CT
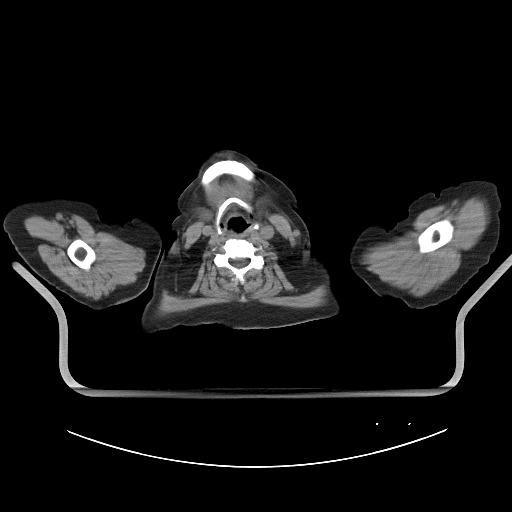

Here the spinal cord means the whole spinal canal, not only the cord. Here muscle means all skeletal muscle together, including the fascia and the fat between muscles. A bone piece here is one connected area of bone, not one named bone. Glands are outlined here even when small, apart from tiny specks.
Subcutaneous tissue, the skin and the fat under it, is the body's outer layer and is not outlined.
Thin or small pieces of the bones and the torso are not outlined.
{"left_arm":[[[473,179],[491,180],[499,187],[503,204],[500,214],[500,236],[488,263],[455,295],[436,305],[413,309],[398,298],[379,296],[350,270],[347,253],[364,227],[372,223],[381,223],[390,228],[408,214],[411,202],[421,195],[431,191],[437,197],[443,188]]],"submandibular_glands":[[[261,197],[268,197],[269,198],[270,198],[271,199],[272,199],[273,200],[273,203],[269,207],[268,207],[264,211],[264,212],[263,213],[263,214],[258,214],[257,213],[256,213],[256,210],[255,209],[255,205],[256,204],[256,201],[258,199],[259,199]],[[197,207],[204,207],[205,208],[206,208],[208,210],[209,210],[209,211],[211,213],[211,216],[209,218],[209,219],[200,219],[199,218],[198,218],[197,217],[194,217],[192,215],[192,210],[193,210],[195,208],[196,208]]],"spinal_cord":[[[238,258],[247,258],[248,259],[249,259],[249,261],[248,262],[248,263],[245,266],[244,266],[243,267],[240,267],[239,268],[238,268],[237,267],[235,267],[234,266],[233,266],[230,263],[230,262],[229,261],[229,259],[237,259]]],"right_arm":[[[52,198],[67,198],[90,203],[97,209],[99,218],[107,223],[122,223],[135,216],[141,216],[153,221],[160,230],[162,248],[150,277],[148,287],[137,297],[127,302],[95,310],[72,299],[34,273],[17,253],[4,231],[3,219],[12,207],[20,203]]],"muscle":[{"outer":[[226,154],[232,155],[253,167],[258,175],[275,193],[275,195],[287,211],[300,233],[301,246],[306,261],[312,273],[322,280],[328,287],[329,298],[326,304],[310,308],[294,308],[264,304],[256,301],[230,302],[202,306],[189,311],[172,313],[161,317],[155,315],[155,310],[160,298],[161,289],[163,287],[170,288],[173,283],[174,265],[180,241],[182,227],[186,217],[193,190],[196,187],[200,175],[206,166],[214,158]],"holes":[[[229,238],[245,239],[251,242],[256,247],[260,245],[262,247],[261,253],[263,255],[264,260],[264,264],[262,268],[249,269],[243,275],[244,278],[243,283],[232,280],[234,277],[233,273],[226,267],[218,267],[213,261],[215,252],[212,249],[222,245]],[[225,159],[236,160],[246,165],[254,173],[255,175],[254,179],[250,181],[241,177],[239,175],[224,173],[215,177],[208,184],[206,188],[204,187],[204,186],[201,183],[201,178],[204,171],[211,164],[219,160],[224,160]],[[230,197],[235,197],[245,202],[250,207],[251,212],[250,213],[247,212],[241,206],[236,203],[233,202],[230,203],[223,212],[223,214],[221,217],[220,220],[221,233],[219,234],[217,231],[215,223],[216,222],[216,214],[218,211],[219,206],[226,199]],[[261,197],[268,197],[269,198],[270,198],[271,199],[272,199],[273,200],[273,203],[269,207],[268,207],[264,211],[264,212],[263,213],[263,214],[258,214],[257,213],[256,213],[256,210],[255,209],[255,205],[256,204],[256,201],[258,199],[259,199]],[[197,207],[204,207],[205,208],[206,208],[208,210],[209,210],[209,211],[211,213],[211,216],[209,218],[209,219],[200,219],[199,218],[198,218],[197,217],[194,217],[192,215],[192,210],[193,210],[195,208],[196,208]],[[233,218],[241,218],[247,224],[247,225],[245,227],[244,227],[242,229],[241,229],[240,230],[237,230],[236,229],[235,229],[233,227],[230,227],[230,225],[229,224],[229,223],[230,222],[230,220],[231,219],[232,219]]]},{"outer":[[475,195],[487,199],[490,207],[490,222],[479,242],[460,265],[457,271],[436,289],[419,297],[414,296],[404,290],[389,285],[367,270],[360,263],[359,257],[367,247],[379,242],[389,240],[403,233],[412,226],[412,223],[417,215],[423,210],[453,198]],"hole":[[446,218],[451,222],[453,226],[453,232],[452,233],[452,237],[451,239],[444,245],[432,251],[430,251],[429,252],[425,252],[424,253],[421,253],[419,251],[419,247],[417,243],[417,238],[418,236],[428,226],[429,226],[431,224],[439,220],[445,219]]},{"outer":[[58,211],[80,215],[86,219],[93,227],[102,231],[114,234],[138,247],[143,248],[147,255],[147,263],[140,278],[113,294],[98,300],[94,300],[77,293],[61,281],[48,269],[41,260],[23,225],[23,219],[27,216],[33,214],[41,214]],"hole":[[77,238],[79,238],[83,240],[86,243],[87,243],[93,249],[95,253],[96,258],[95,260],[91,264],[88,270],[85,270],[79,267],[77,265],[76,265],[70,259],[70,258],[67,254],[67,252],[66,251],[67,249],[67,247],[74,239],[76,239]]}],"head_and_neck":[{"outer":[[222,149],[231,149],[245,154],[262,169],[285,183],[299,202],[299,213],[308,230],[310,270],[304,292],[294,312],[272,328],[234,329],[219,324],[205,324],[184,304],[168,263],[167,248],[174,238],[170,226],[179,213],[176,200],[194,178],[204,159]],"hole":[[233,218],[241,218],[247,224],[247,225],[245,227],[244,227],[242,229],[241,229],[240,230],[237,230],[236,229],[235,229],[233,227],[230,227],[230,225],[229,224],[229,223],[230,222],[230,220],[231,219],[232,219]]}],"bones":[{"outer":[[229,238],[245,239],[251,242],[256,247],[260,245],[262,247],[261,253],[263,255],[264,260],[264,264],[262,268],[249,269],[243,275],[244,278],[243,283],[232,280],[234,277],[233,273],[226,267],[218,267],[213,261],[215,252],[212,249],[222,245]],"hole":[[238,258],[247,258],[248,259],[249,259],[249,261],[248,262],[248,263],[245,266],[244,266],[243,267],[240,267],[239,268],[238,268],[237,267],[235,267],[234,266],[233,266],[230,263],[230,262],[229,261],[229,259],[237,259]]},[[446,218],[451,222],[453,226],[453,232],[452,233],[452,237],[451,239],[444,245],[432,251],[430,251],[429,252],[425,252],[424,253],[421,253],[419,251],[419,247],[417,243],[417,238],[418,236],[428,226],[429,226],[431,224],[439,220],[445,219]],[[225,159],[236,160],[246,165],[254,173],[255,175],[254,179],[250,181],[241,177],[239,175],[224,173],[215,177],[208,184],[206,188],[204,187],[204,186],[201,183],[201,178],[204,171],[211,164],[219,160],[224,160]],[[77,238],[79,238],[83,240],[86,243],[87,243],[93,249],[95,253],[96,258],[95,260],[91,264],[88,270],[85,270],[79,267],[77,265],[76,265],[70,259],[70,258],[67,254],[67,252],[66,251],[67,249],[67,247],[74,239],[76,239]],[[230,197],[235,197],[245,202],[250,207],[251,212],[250,213],[247,212],[241,206],[236,203],[233,202],[230,203],[223,212],[223,214],[221,217],[220,220],[221,233],[219,234],[217,231],[215,223],[216,222],[216,214],[218,211],[219,206],[226,199]]],"torso":[[[166,248],[166,259],[169,270],[177,285],[181,300],[189,312],[204,324],[198,326],[178,325],[171,329],[160,330],[147,334],[140,330],[138,321],[142,309],[147,302],[151,292],[153,282],[152,280],[150,283],[151,277],[155,270],[162,249],[164,250]],[[311,245],[311,250],[314,253],[315,252],[320,253],[327,261],[328,266],[333,277],[333,284],[343,305],[343,311],[337,315],[325,319],[312,320],[295,325],[273,328],[287,320],[292,314],[295,312],[303,297],[306,286],[309,280],[309,274],[311,270]]]}